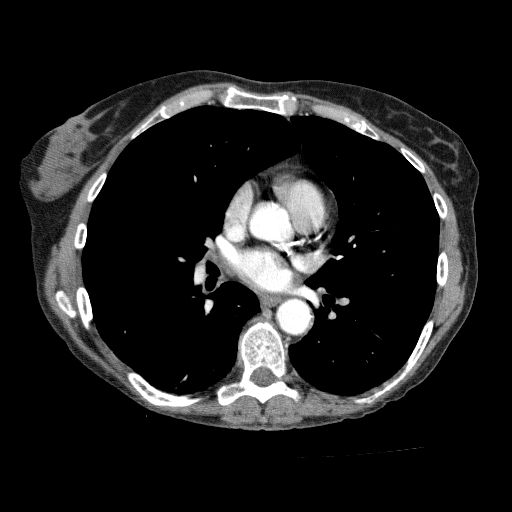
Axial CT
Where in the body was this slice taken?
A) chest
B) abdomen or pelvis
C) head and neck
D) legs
A) chest
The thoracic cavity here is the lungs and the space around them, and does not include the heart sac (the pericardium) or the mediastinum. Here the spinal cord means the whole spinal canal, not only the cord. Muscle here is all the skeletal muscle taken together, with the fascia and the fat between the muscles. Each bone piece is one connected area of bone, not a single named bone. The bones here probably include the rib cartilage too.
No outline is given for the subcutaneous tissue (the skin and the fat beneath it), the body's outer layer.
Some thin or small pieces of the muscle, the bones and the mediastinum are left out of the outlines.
The spinal cord is outlined by (260, 367) (264, 367) (265, 368) (267, 368) (268, 369) (269, 369) (275, 377) (275, 380) (270, 384) (269, 384) (268, 385) (266, 385) (265, 386) (260, 386) (259, 385) (257, 385) (254, 382) (253, 382) (251, 380) (251, 375) (252, 374) (252, 373) (256, 369) (257, 369). The pericardium is outlined by (281, 166) (306, 167) (318, 181) (331, 191) (336, 207) (335, 225) (328, 248) (329, 257) (312, 273) (306, 275) (291, 291) (285, 293) (263, 293) (257, 289) (249, 287) (237, 277) (228, 273) (216, 251) (216, 240) (222, 230) (226, 209) (238, 188) (261, 171) (267, 171). The muscle is outlined by (217, 82) (231, 82) (235, 83) (246, 90) (266, 94) (270, 94) (276, 91) (284, 91) (285, 90) (296, 93) (304, 93) (321, 99) (328, 100) (340, 105) (343, 105) (357, 112) (380, 129) (399, 139) (419, 155) (433, 171) (452, 202) (459, 232) (459, 247) (461, 252) (462, 265) (464, 268) (467, 267) (467, 281) (465, 287) (465, 298) (463, 307) (457, 319) (447, 331) (446, 334) (433, 348) (431, 352) (417, 369) (416, 372) (398, 389) (387, 396) (383, 400) (377, 402) (371, 407) (353, 413) (347, 413) (341, 415) (307, 416) (304, 417) (299, 422) (289, 424) (272, 424) (271, 423) (234, 424) (222, 420) (217, 415) (183, 414) (161, 410) (147, 404) (143, 400) (140, 399) (113, 375) (107, 372) (98, 363) (91, 359) (84, 353) (71, 338) (62, 322) (51, 309) (46, 299) (43, 282) (45, 271) (51, 256) (51, 248) (53, 244) (55, 244) (59, 241) (59, 239) (64, 233) (65, 227) (68, 222) (69, 215) (82, 187) (89, 177) (96, 170) (100, 163) (105, 158) (110, 149) (121, 137) (130, 131) (164, 100) (189, 87) (199, 84) (216, 83) with holes at (229, 85) (257, 95) (294, 94) (303, 104) (297, 114) (312, 114) (312, 103) (355, 114) (383, 142) (416, 155) (425, 167) (421, 175) (429, 192) (444, 199) (447, 214) (439, 220) (438, 251) (446, 252) (447, 277) (435, 291) (429, 312) (432, 332) (404, 377) (370, 403) (354, 399) (372, 394) (381, 384) (345, 395) (322, 390) (296, 374) (291, 384) (302, 396) (297, 402) (276, 394) (262, 404) (241, 395) (222, 405) (215, 385) (191, 394) (201, 399) (189, 405) (154, 405) (129, 381) (132, 369) (109, 347) (96, 324) (91, 321) (86, 329) (82, 323) (76, 290) (84, 284) (83, 250) (75, 247) (74, 239) (77, 225) (88, 222) (93, 203) (87, 195) (94, 181) (110, 170) (132, 133) (161, 105) (196, 90) (220, 92) and at (57, 290) (62, 290) (67, 296) (67, 297) (69, 300) (69, 302) (71, 305) (71, 307) (75, 311) (75, 312) (76, 313) (75, 316) (73, 318) (71, 318) (67, 314) (66, 314) (58, 306) (58, 304) (57, 303) (57, 302) (56, 301) (56, 299) (55, 298) (55, 293). The mediastinum appears in 2 outlined pieces: piece 1: (215, 249) (228, 274) (263, 294) (289, 293) (306, 276) (312, 274) (305, 280) (305, 284) (311, 290) (309, 297) (314, 312) (310, 331) (299, 341) (288, 346) (278, 330) (268, 321) (257, 320) (242, 331) (245, 323) (259, 311) (259, 301) (253, 291) (229, 278) (219, 263); piece 2: (301, 145) (303, 155) (308, 165) (314, 172) (315, 175) (327, 187) (318, 180) (312, 174) (310, 170) (306, 166) (303, 167) (302, 166) (297, 166) (296, 165) (281, 165) (280, 166) (275, 166) (270, 169) (265, 170) (265, 169) (268, 167) (295, 154) (299, 150). The bones appear in 11 outlined pieces: piece 1: (257, 321) (271, 324) (280, 334) (283, 342) (287, 344) (288, 363) (297, 374) (293, 376) (291, 384) (299, 390) (302, 397) (296, 402) (288, 396) (276, 394) (262, 404) (253, 396) (241, 395) (229, 404) (222, 405) (217, 400) (215, 388) (226, 379) (237, 360) (240, 335); inner edge: (260, 367) (264, 367) (265, 368) (267, 368) (268, 369) (269, 369) (275, 377) (275, 380) (270, 384) (269, 384) (268, 385) (266, 385) (265, 386) (260, 386) (259, 385) (257, 385) (254, 382) (253, 382) (251, 380) (251, 375) (252, 374) (252, 373) (256, 369) (257, 369); piece 2: (229, 85) (232, 85) (239, 90) (257, 95) (294, 94) (303, 104) (303, 107) (296, 113) (284, 116) (261, 109) (226, 107) (215, 99) (213, 103) (204, 103) (180, 111) (155, 123) (133, 139) (130, 139) (132, 133) (161, 105) (167, 104) (196, 90) (211, 89) (220, 92); piece 3: (130, 370) (132, 370) (136, 372) (152, 386) (163, 392) (166, 392) (167, 393) (174, 394) (175, 395) (199, 396) (201, 397) (201, 399) (197, 402) (194, 402) (189, 405) (185, 405) (184, 406) (154, 405) (150, 403) (147, 400) (144, 399) (129, 381) (127, 378) (127, 372); piece 4: (431, 318) (433, 319) (432, 332) (418, 359) (404, 377) (389, 390) (377, 397) (372, 402) (356, 403) (354, 399) (365, 397) (372, 394) (376, 390) (381, 388) (382, 384) (385, 381) (389, 380) (397, 372) (399, 372) (402, 369) (402, 367) (412, 352) (424, 325) (428, 319); piece 5: (312, 103) (323, 104) (324, 105) (341, 108) (352, 114) (355, 114) (359, 118) (363, 119) (383, 140) (382, 141) (381, 140) (374, 139) (367, 135) (360, 133) (336, 120) (327, 117) (323, 117) (319, 115) (316, 115) (310, 111) (308, 107) (309, 105); piece 6: (81, 285) (83, 285) (85, 287) (86, 291) (88, 294) (89, 302) (91, 306) (91, 311) (93, 316) (92, 321) (90, 322) (90, 327) (89, 329) (86, 329) (82, 323) (81, 317) (79, 314) (79, 311) (77, 306) (77, 302) (76, 301) (76, 290) (77, 288); piece 7: (442, 250) (444, 250) (446, 252) (446, 254) (447, 255) (447, 260) (448, 261) (448, 263) (447, 264) (447, 277) (446, 278) (446, 280) (445, 281) (444, 285) (438, 290) (436, 290) (437, 288) (436, 274) (437, 273) (437, 262) (438, 261) (438, 255) (439, 254) (439, 252); piece 8: (57, 290) (62, 290) (67, 296) (67, 297) (69, 300) (69, 302) (71, 305) (71, 307) (75, 311) (75, 312) (76, 313) (75, 316) (73, 318) (71, 318) (67, 314) (66, 314) (58, 306) (58, 304) (57, 303) (57, 302) (56, 301) (56, 299) (55, 298) (55, 293); piece 9: (401, 146) (404, 146) (406, 148) (407, 148) (415, 155) (416, 155) (421, 160) (421, 161) (423, 163) (423, 164) (425, 167) (425, 172) (423, 174) (422, 174) (416, 168) (415, 168) (408, 161) (408, 160) (407, 159) (406, 159) (406, 158) (399, 151) (399, 148); piece 10: (103, 171) (106, 171) (107, 172) (107, 175) (105, 178) (105, 180) (104, 181) (104, 182) (103, 183) (99, 192) (97, 194) (97, 195) (94, 199) (94, 200) (92, 202) (88, 202) (87, 201) (87, 195) (88, 194) (88, 192) (89, 191) (91, 186) (93, 184) (94, 181); piece 11: (435, 191) (438, 192) (444, 199) (444, 201) (445, 202) (445, 204) (447, 208) (447, 214) (446, 215) (446, 217) (444, 219) (440, 219) (438, 215) (438, 213) (437, 212) (437, 210) (436, 209) (436, 207) (435, 206) (435, 204) (434, 203) (433, 198) (432, 197) (432, 194). The torso is outlined by (194, 69) (373, 88) (441, 121) (463, 140) (479, 172) (473, 204) (475, 295) (437, 365) (403, 397) (361, 418) (307, 428) (255, 431) (198, 424) (137, 404) (85, 367) (46, 320) (36, 296) (31, 228) (18, 185) (20, 160) (40, 136) (92, 103) (130, 85). The thoracic cavity is outlined by (204, 104) (327, 118) (388, 144) (423, 177) (439, 218) (433, 303) (381, 384) (334, 393) (289, 363) (314, 326) (306, 280) (332, 255) (339, 219) (301, 144) (244, 181) (224, 212) (214, 253) (259, 306) (224, 380) (163, 391) (103, 339) (82, 265) (93, 202) (132, 140).